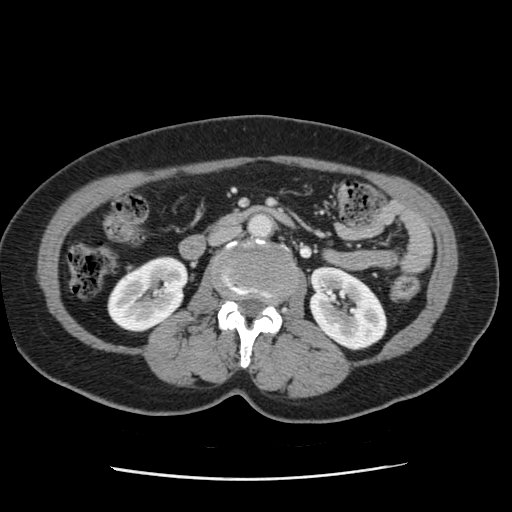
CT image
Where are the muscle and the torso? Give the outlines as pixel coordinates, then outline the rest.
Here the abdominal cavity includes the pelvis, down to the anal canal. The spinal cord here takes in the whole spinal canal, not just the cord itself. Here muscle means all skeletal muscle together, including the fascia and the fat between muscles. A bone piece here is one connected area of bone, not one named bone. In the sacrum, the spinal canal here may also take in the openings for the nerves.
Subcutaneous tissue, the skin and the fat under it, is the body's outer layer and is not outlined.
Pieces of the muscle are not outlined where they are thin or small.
Outlines:
muscle: 280 154; 334 161; 367 170; 404 177; 429 192; 446 211; 456 235; 458 270; 445 308; 433 325; 432 332; 413 349; 400 356; 355 369; 337 387; 322 395; 304 400; 283 400; 263 393; 244 370; 237 371; 223 383; 208 389; 177 387; 158 378; 138 355; 108 352; 83 343; 69 334; 48 311; 45 297; 36 278; 38 248; 42 234; 52 215; 72 192; 94 179; 109 174; 238 156; 271 156 with a hole at 260 160; 361 176; 427 223; 437 255; 425 305; 377 353; 350 359; 305 317; 297 265; 293 293; 275 306; 281 327; 256 336; 246 368; 237 330; 218 327; 226 299; 214 257; 145 343; 108 340; 70 312; 59 254; 88 213; 151 181
torso: 254 113; 315 120; 379 137; 429 163; 460 192; 487 231; 499 268; 495 312; 467 360; 418 396; 330 423; 274 420; 237 394; 188 414; 133 413; 93 401; 34 369; 12 335; 0 273; 0 238; 27 196; 62 166; 106 142; 189 120
abdominal cavity: 260 160; 361 176; 427 223; 436 238; 437 255; 425 305; 377 353; 350 359; 306 318; 305 273; 283 243; 263 239; 226 243; 208 262; 185 307; 158 325; 145 343; 108 340; 70 312; 60 290; 59 254; 68 232; 88 213; 151 181
bones: 235 240; 263 240; 283 244; 296 260; 295 289; 285 301; 275 306; 282 317; 281 327; 275 334; 260 332; 256 336; 246 368; 239 365; 240 339; 237 330; 221 330; 218 327; 217 312; 226 299; 219 295; 211 277; 214 257; 226 244, around a hole outlined by 246 298; 258 298; 260 299; 263 302; 266 303; 266 305; 265 307; 264 307; 258 313; 259 315; 258 315; 256 317; 252 319; 248 319; 243 314; 242 314; 240 312; 239 310; 239 305; 236 301; 236 300; 238 299; 245 299
spinal cord: 246 298; 258 298; 260 299; 263 302; 266 303; 266 305; 265 307; 264 307; 258 313; 259 315; 258 315; 256 317; 252 319; 248 319; 243 314; 242 314; 240 312; 239 310; 239 305; 236 301; 236 300; 238 299; 245 299